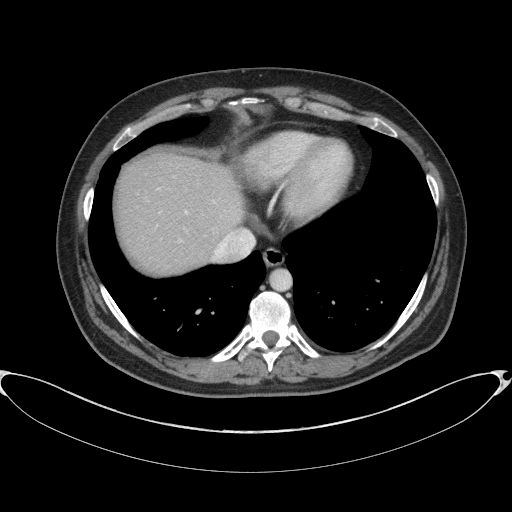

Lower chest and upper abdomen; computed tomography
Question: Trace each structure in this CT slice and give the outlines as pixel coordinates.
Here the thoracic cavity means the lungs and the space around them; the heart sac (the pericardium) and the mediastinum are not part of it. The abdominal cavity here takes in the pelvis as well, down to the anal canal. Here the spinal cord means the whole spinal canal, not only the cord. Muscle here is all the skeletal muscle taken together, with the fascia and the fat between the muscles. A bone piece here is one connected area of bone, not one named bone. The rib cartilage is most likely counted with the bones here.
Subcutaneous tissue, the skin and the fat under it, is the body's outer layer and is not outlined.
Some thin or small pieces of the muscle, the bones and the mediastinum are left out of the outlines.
Answer: The bones appear in 8 outlined pieces: piece 1: 268,371 271,371 275,359 283,349 292,343 311,357 321,356 291,320 292,311 288,302 273,291 263,291 252,298 248,310 249,321 228,345 209,358 210,361 217,362 236,355 238,360 242,361 250,351 259,348, around a hole outlined by 269,346 272,346 276,342 276,341 277,340 277,339 278,338 278,335 275,332 274,332 273,331 267,331 266,332 265,332 263,334 263,336 262,337 262,338 263,339 263,340 264,341 264,342 267,345 268,345; piece 2: 395,138 398,137 396,131 386,122 378,117 354,116 341,109 319,102 314,101 304,102 298,97 288,97 284,100 284,106 289,109 300,107 304,111 307,110 309,113 322,117 338,120 352,119 371,129; piece 3: 113,152 120,148 128,141 134,138 147,127 157,122 170,119 174,117 177,117 185,113 191,108 195,107 196,104 194,104 191,102 186,102 174,106 171,106 145,118 140,122 132,126 126,127 115,141 112,147; piece 4: 367,350 371,350 377,348 382,345 404,324 410,316 418,304 423,294 426,285 427,278 428,277 428,274 426,271 424,273 415,292 413,294 405,308 398,317 392,329 382,340 373,346 370,347 367,349; piece 5: 140,341 141,341 141,339 133,327 130,324 127,318 120,310 114,300 111,297 110,294 106,288 101,282 99,283 99,289 100,290 101,295 104,299 107,306 111,312 114,315 117,320 134,337; piece 6: 87,222 88,222 89,220 89,217 91,213 91,208 92,207 92,203 93,202 93,194 94,193 94,187 93,186 91,186 87,190 85,194 85,196 84,197 84,200 83,201 83,213 84,214 85,220; piece 7: 436,207 438,206 438,203 439,202 439,194 438,193 437,183 432,174 430,172 427,172 425,173 426,180 427,181 427,183 428,184 428,186 429,187 429,189 430,190 430,192 431,193 431,195 432,196 434,204; piece 8: 228,105 236,105 237,104 254,104 255,103 259,103 260,102 262,102 263,101 263,100 262,99 261,99 258,97 255,97 254,96 244,96 243,97 241,97 239,99 236,99 235,100 229,100 226,103. The pericardium is outlined by 282,241 289,233 318,219 331,208 350,196 357,189 357,184 361,177 361,172 363,171 363,162 361,154 355,143 343,131 324,124 297,120 272,120 240,135 232,145 232,172 244,196 247,211 258,228 273,238. The mediastinum appears in 3 outlined pieces: piece 1: 291,307 293,303 293,279 285,263 287,252 283,248 283,242 273,239 258,229 247,212 242,223 222,239 207,265 234,263 243,259 252,250 258,250 264,261 266,274 254,296 263,290 273,290 280,293 289,302; piece 2: 352,195 360,191 369,170 371,161 371,148 360,133 359,127 361,125 349,120 331,120 308,113 295,112 279,105 274,112 272,119 297,119 332,125 343,130 354,140 362,154 364,171 362,172 358,189; piece 3: 194,146 211,146 218,142 222,138 227,130 227,126 229,125 230,114 226,108 223,108 221,106 214,106 204,111 195,113 188,113 182,115 204,114 207,116 207,125 198,134 182,138 175,141 163,142 186,144. The spinal cord is outlined by 269,346 272,346 276,342 276,341 277,340 277,339 278,338 278,335 275,332 274,332 273,331 267,331 266,332 265,332 263,334 263,336 262,337 262,338 263,339 263,340 264,341 264,342 267,345 268,345. The abdominal cavity is outlined by 155,279 183,275 205,266 221,239 241,223 246,210 231,172 231,145 240,134 270,120 278,104 273,101 254,105 220,104 231,117 228,130 218,143 194,147 161,142 121,165 111,202 115,236 128,263 142,275. The thoracic cavity appears in 2 outlined pieces: piece 1: 341,352 367,345 394,323 427,267 436,229 435,207 424,173 413,154 398,139 362,125 361,133 372,148 372,161 361,191 318,220 289,234 283,243 288,252 286,263 294,279 292,310 295,319 311,340 330,350; piece 2: 181,356 218,351 248,321 248,304 265,274 261,256 252,251 234,264 147,278 127,263 117,245 110,202 124,161 154,143 198,133 206,125 204,115 157,123 114,152 100,172 88,229 97,273 131,324 155,345. The muscle is outlined by 250,385 252,384 258,384 262,381 269,379 272,380 275,378 278,378 281,380 289,382 300,382 311,377 316,377 317,378 341,377 350,374 365,366 369,365 389,352 419,326 425,317 430,312 438,299 443,289 444,283 447,276 447,257 448,256 448,249 449,248 449,229 448,228 448,213 445,208 445,198 446,195 444,190 443,182 437,168 431,161 426,158 426,156 424,154 421,146 406,131 402,129 391,120 377,112 364,110 355,107 345,100 335,95 314,89 307,89 300,86 281,85 280,86 254,87 253,88 209,87 204,89 200,89 180,94 161,102 151,108 138,119 136,119 124,125 98,153 92,162 85,176 85,182 80,190 76,204 75,254 77,262 77,269 78,270 78,275 80,278 81,285 83,289 85,306 93,322 107,336 112,339 117,344 163,371 196,382 203,382 204,383 230,382 235,384 249,384; inner edge: 268,371 292,343 311,357 321,356 300,333 291,320 292,315 311,340 341,352 367,345 392,325 382,340 367,349 377,348 404,324 418,304 428,277 425,270 433,247 435,208 439,202 437,183 430,172 423,172 413,154 397,138 396,131 375,116 354,116 298,97 286,98 283,107 273,101 244,96 217,106 212,99 202,99 201,105 212,107 195,113 185,113 196,106 191,102 165,108 124,129 96,186 85,194 83,213 89,223 90,254 101,280 101,295 117,320 140,341 138,331 155,345 177,355 213,353 209,358 212,362 234,355 242,361 250,351 259,348. The torso is outlined by 204,398 307,396 341,390 429,351 445,335 454,313 466,252 464,200 438,143 413,113 387,91 353,77 296,67 200,71 133,91 112,105 86,136 66,178 55,237 58,273 74,319 92,349 110,365 157,388.